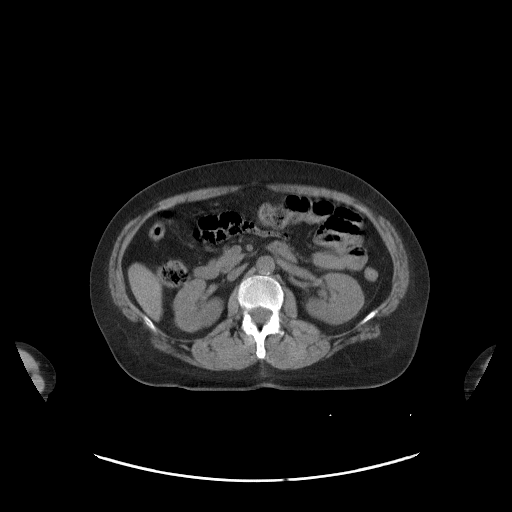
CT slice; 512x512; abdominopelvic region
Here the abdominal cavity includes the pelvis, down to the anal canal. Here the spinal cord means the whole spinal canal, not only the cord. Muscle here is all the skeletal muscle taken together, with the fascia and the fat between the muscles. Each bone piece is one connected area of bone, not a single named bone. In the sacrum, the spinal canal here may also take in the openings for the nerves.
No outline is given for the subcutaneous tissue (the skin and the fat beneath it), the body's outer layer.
The left arm is outlined by (492, 344) (494, 344) (494, 347) (491, 353) (491, 356) (487, 363) (487, 365) (483, 373) (481, 375) (479, 381) (473, 390) (469, 394) (468, 397) (465, 399) (464, 397) (464, 391) (463, 390) (463, 383) (464, 382) (465, 374) (469, 366) (474, 359) (485, 348). The torso is outlined by (259, 157) (308, 160) (349, 171) (382, 193) (411, 227) (425, 255) (430, 291) (415, 355) (406, 370) (394, 380) (363, 389) (261, 387) (244, 391) (202, 391) (141, 383) (128, 375) (114, 359) (96, 323) (89, 297) (92, 258) (113, 215) (138, 191) (174, 172) (214, 161). The spinal cord is outlined by (258, 307) (267, 309) (268, 310) (269, 310) (271, 313) (270, 314) (268, 319) (261, 324) (257, 324) (255, 322) (254, 322) (253, 321) (253, 320) (252, 319) (252, 317) (250, 314) (250, 311) (252, 309) (253, 309) (254, 308) (257, 308). The muscle appears in 3 outlined pieces: piece 1: (253, 181) (262, 184) (285, 183) (309, 185) (343, 192) (356, 198) (391, 223) (401, 238) (407, 255) (409, 282) (405, 295) (397, 308) (381, 320) (380, 334) (377, 337) (349, 344) (327, 358) (298, 369) (279, 369) (260, 360) (239, 370) (210, 370) (192, 365) (156, 349) (150, 343) (148, 334) (137, 323) (129, 320) (122, 314) (113, 302) (110, 294) (108, 286) (108, 266) (113, 246) (123, 227) (130, 220) (143, 214) (162, 199) (201, 188) (241, 185), around a hole outlined by (248, 186) (333, 199) (371, 221) (392, 262) (389, 293) (373, 317) (323, 333) (298, 318) (296, 298) (283, 285) (284, 333) (265, 337) (262, 359) (253, 336) (241, 329) (236, 287) (226, 317) (201, 337) (173, 337) (148, 327) (128, 296) (122, 269) (139, 228) (161, 210); piece 2: (17, 347) (21, 348) (23, 350) (29, 353) (35, 359) (35, 360) (39, 363) (41, 367) (42, 374) (45, 379) (45, 387) (42, 396) (38, 390) (38, 388) (34, 383) (32, 378) (28, 373) (28, 370) (26, 367) (26, 364) (24, 363) (24, 361) (22, 359); piece 3: (491, 354) (491, 356) (487, 363) (487, 365) (486, 366) (483, 373) (481, 375) (481, 377) (479, 379) (479, 381) (477, 383) (477, 384) (475, 386) (475, 387) (475, 381) (476, 380) (478, 375) (480, 373) (481, 370) (483, 368) (483, 367) (484, 366) (487, 359). The right arm is outlined by (16, 340) (24, 341) (37, 348) (48, 358) (53, 365) (56, 373) (56, 383) (53, 391) (48, 396) (48, 399) (47, 400) (45, 400) (43, 398) (42, 395) (38, 390) (38, 388) (28, 373) (26, 364) (24, 363) (24, 361) (22, 359) (16, 346) (16, 343) (15, 342). The bones appear in 3 outlined pieces: piece 1: (253, 275) (270, 276) (280, 284) (283, 290) (283, 302) (279, 315) (281, 328) (284, 333) (281, 336) (275, 333) (268, 334) (265, 337) (265, 356) (262, 359) (256, 355) (256, 343) (253, 336) (246, 334) (241, 329) (243, 309) (237, 299) (237, 291) (240, 282) (244, 278) with a hole at (258, 307) (267, 309) (268, 310) (269, 310) (271, 313) (270, 314) (268, 319) (261, 324) (257, 324) (255, 322) (254, 322) (253, 321) (253, 320) (252, 319) (252, 317) (250, 314) (250, 311) (252, 309) (253, 309) (254, 308) (257, 308); piece 2: (142, 314) (145, 315) (148, 318) (149, 318) (149, 319) (150, 320) (151, 320) (151, 321) (154, 324) (154, 325) (156, 327) (156, 328) (157, 329) (156, 332) (154, 332) (152, 330) (151, 330) (148, 327) (148, 326) (145, 323) (145, 322) (144, 321) (144, 319) (142, 316); piece 3: (374, 309) (377, 309) (377, 312) (376, 313) (376, 314) (373, 317) (372, 317) (370, 319) (369, 319) (366, 322) (365, 322) (364, 323) (363, 323) (362, 324) (359, 324) (359, 323) (360, 322) (360, 321) (368, 313) (369, 313) (372, 310) (373, 310). The abdominal cavity is outlined by (248, 186) (329, 198) (361, 211) (391, 257) (391, 285) (385, 299) (350, 329) (326, 334) (298, 318) (296, 298) (288, 287) (282, 287) (270, 275) (253, 274) (244, 277) (231, 292) (226, 317) (205, 335) (173, 337) (156, 326) (126, 291) (122, 262) (133, 237) (161, 210).